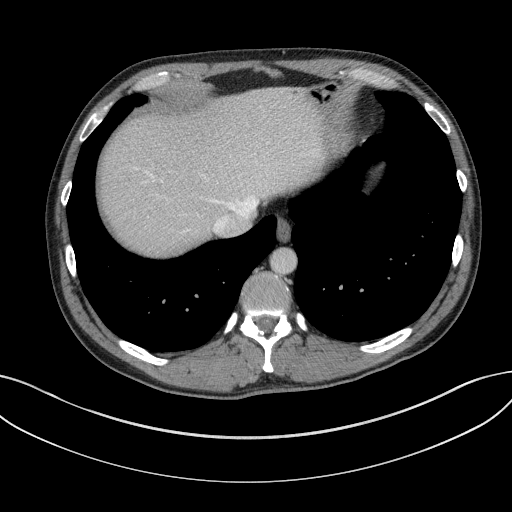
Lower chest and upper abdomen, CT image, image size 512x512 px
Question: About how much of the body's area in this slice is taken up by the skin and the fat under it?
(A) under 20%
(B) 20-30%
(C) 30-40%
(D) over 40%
Answer: (A) under 20%
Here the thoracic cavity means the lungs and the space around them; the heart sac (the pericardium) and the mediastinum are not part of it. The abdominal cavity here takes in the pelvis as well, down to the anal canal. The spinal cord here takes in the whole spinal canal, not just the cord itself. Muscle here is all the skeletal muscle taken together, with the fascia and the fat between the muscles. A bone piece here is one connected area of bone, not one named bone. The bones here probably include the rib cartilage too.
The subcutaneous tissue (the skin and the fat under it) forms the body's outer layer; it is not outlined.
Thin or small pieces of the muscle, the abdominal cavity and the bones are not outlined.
{"abdominal_cavity":[[[160,260],[181,256],[208,241],[244,233],[272,207],[279,203],[287,205],[291,198],[340,168],[351,151],[363,143],[361,92],[369,85],[263,66],[138,92],[146,96],[146,101],[118,124],[100,151],[95,199],[102,223],[120,246],[139,256]],[[367,196],[371,195],[381,184],[381,183],[385,178],[385,176],[387,172],[387,163],[385,161],[385,160],[380,160],[378,162],[376,162],[373,164],[371,164],[364,173],[364,175],[362,178],[362,181],[358,186],[358,190],[359,190],[363,194]]],"torso":[[[211,399],[313,390],[357,380],[429,348],[464,308],[474,285],[481,250],[482,207],[476,169],[447,104],[402,63],[370,51],[311,46],[160,55],[137,61],[112,76],[75,119],[52,172],[44,213],[49,273],[60,311],[80,343],[114,371],[164,392]]],"spinal_cord":[[[267,334],[268,333],[270,333],[270,332],[272,330],[273,327],[276,323],[276,319],[271,316],[268,316],[267,315],[263,315],[262,316],[260,316],[259,317],[257,317],[255,318],[255,323],[257,325],[257,326],[260,329],[263,330],[265,332],[265,333]]],"mediastinum":[[[291,291],[297,267],[297,255],[291,241],[291,230],[294,222],[288,215],[287,206],[285,204],[279,204],[272,208],[268,213],[268,214],[269,213],[273,214],[277,220],[276,243],[272,250],[256,266],[251,273],[263,269],[271,270],[277,273],[286,281]],[[364,142],[368,137],[373,134],[384,119],[384,109],[381,104],[377,101],[374,95],[375,91],[380,89],[377,89],[371,86],[367,86],[364,88],[364,91],[362,92],[363,95],[361,116],[362,117],[362,130],[365,134]]],"muscle":[{"outer":[[213,391],[228,391],[237,386],[244,386],[248,383],[255,382],[263,373],[272,373],[292,381],[302,381],[309,383],[322,380],[328,380],[332,378],[348,375],[363,369],[374,366],[391,358],[394,355],[410,347],[417,341],[420,340],[433,329],[452,309],[460,297],[468,278],[471,265],[471,260],[472,259],[472,250],[475,240],[473,231],[473,225],[472,224],[474,201],[473,200],[472,184],[470,180],[469,167],[459,137],[448,116],[430,96],[413,82],[397,71],[378,63],[367,62],[363,60],[336,58],[335,57],[323,57],[322,58],[308,59],[307,60],[274,60],[273,61],[244,60],[243,61],[213,62],[212,63],[206,63],[205,62],[174,62],[173,63],[159,64],[143,69],[135,73],[102,98],[87,114],[83,122],[77,130],[77,132],[71,142],[65,158],[61,176],[58,184],[58,191],[54,208],[55,239],[56,240],[57,252],[59,255],[60,283],[64,298],[71,314],[81,328],[102,347],[120,359],[143,371],[151,377],[166,384],[174,386],[193,388],[194,389],[201,389],[202,390],[212,390]],"hole":[[266,372],[273,371],[272,346],[292,331],[290,312],[303,331],[308,323],[340,340],[369,341],[359,346],[364,352],[379,353],[395,346],[412,332],[410,324],[435,297],[449,266],[455,267],[460,259],[463,238],[457,227],[467,180],[454,164],[446,137],[449,125],[430,103],[421,105],[412,96],[393,90],[399,83],[387,75],[358,67],[340,70],[339,78],[322,78],[263,66],[170,83],[172,77],[181,75],[163,70],[140,78],[133,92],[92,113],[80,133],[83,143],[73,177],[61,192],[71,240],[64,247],[65,261],[99,317],[120,337],[116,340],[119,346],[144,361],[164,365],[168,359],[154,352],[191,349],[219,330],[226,334],[238,324],[243,335],[263,347]]}],"bones":[{"outer":[[266,372],[273,371],[270,361],[272,346],[292,331],[292,325],[288,319],[292,296],[284,280],[271,271],[263,270],[251,274],[244,282],[238,301],[239,309],[231,313],[222,332],[226,334],[238,324],[243,335],[257,341],[264,349],[265,359],[262,368]],"hole":[[267,334],[268,333],[270,333],[270,332],[272,330],[273,327],[276,323],[276,319],[271,316],[268,316],[267,315],[263,315],[262,316],[260,316],[259,317],[257,317],[255,318],[255,323],[257,325],[257,326],[260,329],[263,330],[265,332],[265,333]]},[[381,89],[392,89],[399,86],[399,83],[394,78],[392,78],[387,75],[362,67],[352,68],[351,69],[344,69],[343,70],[340,70],[338,72],[340,75],[340,77],[344,77],[345,76],[350,79],[361,81],[363,83],[369,84],[374,87]],[[369,353],[379,353],[395,346],[397,344],[403,341],[412,332],[413,328],[410,325],[409,325],[387,336],[385,336],[378,340],[376,340],[375,341],[373,341],[369,343],[366,343],[365,344],[360,345],[359,346],[359,349],[360,350],[364,352],[368,352]],[[134,91],[145,90],[146,89],[149,89],[153,87],[157,87],[160,85],[163,85],[166,83],[168,83],[172,77],[179,78],[181,75],[179,73],[170,73],[168,71],[166,71],[165,70],[151,73],[148,75],[146,75],[140,78],[132,86],[131,89]],[[156,365],[164,365],[168,362],[168,359],[164,358],[163,357],[159,357],[151,353],[149,351],[139,346],[137,346],[126,340],[124,340],[121,338],[118,338],[116,340],[119,346],[126,352],[144,361],[146,361],[147,362],[149,362],[150,363],[152,363]],[[80,142],[83,142],[92,132],[92,131],[101,122],[101,121],[103,119],[103,118],[105,116],[111,106],[114,103],[114,101],[109,101],[106,104],[103,105],[98,110],[95,111],[90,115],[90,116],[86,121],[80,133],[80,135],[79,136],[79,141]],[[446,135],[448,135],[450,133],[450,128],[449,127],[449,125],[446,119],[441,113],[441,112],[437,108],[436,108],[430,103],[425,101],[422,105],[423,107],[425,109],[427,113],[432,118],[432,119],[438,125],[438,126]],[[452,267],[455,267],[457,265],[460,259],[460,257],[461,256],[461,254],[463,250],[463,238],[461,234],[458,232],[457,232],[455,236],[455,239],[454,240],[454,243],[453,244],[453,248],[452,249],[452,253],[451,254],[451,266]],[[74,278],[77,276],[77,272],[76,271],[76,264],[75,263],[75,256],[74,255],[74,252],[73,251],[73,248],[71,245],[71,243],[69,242],[67,243],[64,247],[64,254],[65,255],[65,261],[66,262],[67,267],[72,277]],[[303,331],[306,331],[308,329],[308,326],[306,323],[306,320],[300,311],[299,311],[298,310],[295,310],[294,311],[293,311],[291,313],[291,314],[293,316],[293,317],[294,318],[294,321],[295,322],[295,323]],[[63,206],[66,206],[67,204],[67,202],[68,201],[68,198],[69,197],[69,195],[70,194],[70,191],[71,190],[71,184],[72,183],[72,181],[71,179],[69,179],[66,182],[61,192],[61,203]]],"thoracic_cavity":[{"outer":[[345,341],[372,341],[413,322],[435,297],[450,265],[461,208],[451,150],[446,136],[415,98],[397,90],[376,91],[385,109],[385,119],[374,134],[352,151],[340,169],[288,202],[289,215],[295,222],[292,241],[298,255],[292,305],[302,312],[307,323]],"hole":[[367,196],[371,195],[381,184],[381,183],[385,178],[385,176],[387,172],[387,163],[385,161],[385,160],[380,160],[378,162],[376,162],[373,164],[371,164],[364,173],[364,175],[362,178],[362,181],[358,186],[358,190],[359,190],[363,194]]},[[153,353],[197,347],[222,329],[238,308],[243,282],[275,243],[276,220],[267,215],[240,236],[208,242],[170,260],[142,258],[120,247],[98,216],[94,172],[111,131],[145,101],[132,92],[115,102],[82,144],[66,207],[78,277],[90,303],[118,336]]]}